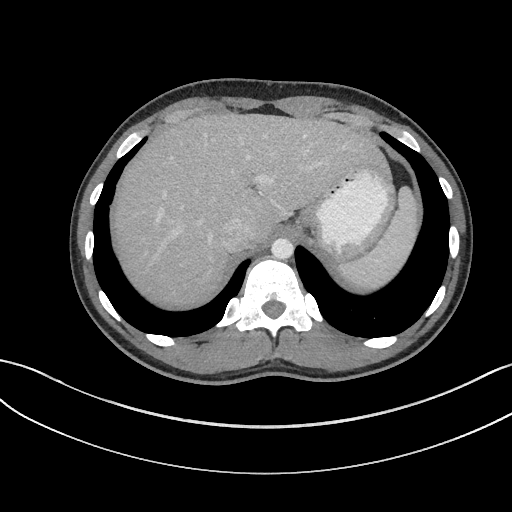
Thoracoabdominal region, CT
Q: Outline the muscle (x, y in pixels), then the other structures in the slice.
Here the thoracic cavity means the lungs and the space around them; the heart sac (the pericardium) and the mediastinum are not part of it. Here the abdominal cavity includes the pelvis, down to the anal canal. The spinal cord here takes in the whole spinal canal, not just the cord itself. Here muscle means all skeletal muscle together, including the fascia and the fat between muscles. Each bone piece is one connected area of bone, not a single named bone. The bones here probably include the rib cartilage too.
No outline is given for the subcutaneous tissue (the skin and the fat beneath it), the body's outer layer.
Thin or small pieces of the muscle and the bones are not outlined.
A: {"muscle":[{"outer":[[206,375],[216,375],[227,371],[246,369],[251,366],[258,365],[262,362],[267,362],[268,361],[284,362],[286,364],[293,367],[299,369],[313,371],[314,372],[336,372],[337,371],[352,370],[355,368],[376,363],[394,356],[397,353],[402,351],[416,341],[442,315],[451,299],[458,278],[459,268],[461,264],[461,259],[463,254],[463,247],[464,246],[463,237],[465,234],[465,215],[464,214],[464,210],[459,190],[448,169],[429,145],[411,128],[406,125],[397,123],[384,116],[382,116],[373,110],[371,110],[364,106],[361,106],[353,103],[344,102],[329,97],[313,96],[312,95],[298,95],[297,96],[284,97],[274,100],[261,100],[260,99],[255,99],[249,97],[242,97],[241,96],[214,96],[213,97],[210,96],[195,96],[194,97],[189,97],[185,99],[182,99],[168,105],[163,109],[152,114],[145,119],[131,126],[118,138],[91,177],[84,191],[78,214],[77,245],[79,250],[80,260],[82,264],[84,282],[88,294],[97,311],[109,325],[137,348],[155,359],[157,359],[170,366],[195,374],[205,374]],"hole":[[377,349],[438,308],[447,259],[459,250],[451,187],[409,133],[383,125],[380,137],[264,105],[197,115],[148,141],[134,132],[122,142],[90,195],[94,221],[85,237],[112,317],[164,347],[214,325],[262,328],[275,338],[283,327],[302,332],[325,320]]}],"bones":[{"outer":[[273,338],[283,327],[290,326],[297,332],[308,331],[313,320],[322,322],[324,319],[313,296],[303,291],[296,270],[285,261],[273,256],[265,256],[249,265],[240,295],[230,299],[222,318],[215,327],[220,328],[234,324],[239,331],[262,328],[267,330]],"hole":[[273,318],[275,318],[277,316],[278,316],[283,311],[283,310],[284,309],[284,305],[283,304],[282,304],[279,302],[277,302],[276,301],[270,301],[269,302],[266,303],[264,305],[263,305],[263,306],[262,307],[263,308],[263,310],[269,316],[270,316]]},[[419,153],[420,153],[420,147],[416,140],[409,133],[408,133],[406,131],[395,132],[389,127],[385,125],[383,125],[382,126],[382,128],[384,130],[384,131],[389,135],[392,136],[400,142],[403,143],[405,145],[408,146],[410,148],[413,149],[415,151]],[[117,159],[119,159],[123,155],[124,155],[127,152],[128,152],[135,145],[136,145],[139,142],[140,142],[141,140],[142,140],[144,136],[142,132],[134,132],[130,134],[122,142],[122,143],[117,149],[117,151],[116,152],[116,158]],[[377,349],[385,348],[392,345],[395,342],[396,342],[397,340],[397,336],[396,335],[394,335],[393,336],[388,336],[387,337],[380,337],[379,338],[370,338],[369,339],[366,339],[364,340],[363,344],[365,346],[367,347],[370,347],[371,348],[376,348]],[[452,259],[454,259],[457,256],[457,255],[458,254],[458,251],[459,250],[459,236],[458,235],[458,233],[457,232],[457,230],[456,229],[456,228],[455,227],[455,226],[454,225],[450,225],[450,226],[449,227],[449,257],[450,257]],[[425,317],[428,317],[431,314],[432,314],[438,308],[438,307],[442,302],[443,300],[443,298],[444,297],[444,295],[445,294],[445,290],[446,289],[444,285],[442,284],[440,286],[432,302],[430,304],[429,307],[423,314],[423,315]],[[164,347],[165,346],[172,346],[174,345],[175,344],[175,340],[174,338],[172,338],[171,337],[168,337],[167,336],[164,336],[163,335],[157,335],[156,334],[151,334],[150,333],[144,333],[144,335],[145,337],[150,342],[158,346],[163,346]],[[119,322],[120,322],[122,320],[122,318],[114,309],[113,306],[109,301],[108,298],[106,296],[104,292],[101,289],[99,289],[98,291],[98,297],[99,298],[100,303],[102,305],[104,309],[112,317],[113,317],[117,321]],[[88,261],[90,261],[92,259],[92,253],[93,252],[93,232],[92,231],[92,230],[89,230],[87,232],[87,233],[86,234],[86,236],[85,237],[85,258]],[[448,200],[450,200],[453,196],[453,193],[452,192],[451,187],[448,183],[448,182],[443,177],[442,177],[441,176],[438,176],[438,180],[439,181],[439,183],[441,186],[441,188],[442,189],[444,194],[446,196],[446,197]],[[91,206],[94,206],[95,205],[95,204],[96,203],[96,202],[100,195],[100,193],[101,192],[101,190],[103,187],[103,184],[104,183],[104,182],[100,182],[94,188],[94,189],[92,191],[92,192],[90,195],[90,197],[89,198],[89,204]]],"abdominal_cavity":[[[170,311],[189,310],[213,299],[277,223],[299,238],[299,245],[321,262],[338,286],[356,295],[378,290],[398,274],[422,224],[414,170],[370,129],[326,119],[298,120],[272,105],[178,122],[147,141],[127,162],[109,207],[113,252],[123,272],[143,298]]],"torso":[[[199,386],[266,376],[319,382],[353,379],[408,360],[444,328],[468,281],[473,251],[472,217],[455,168],[411,118],[386,101],[346,85],[214,78],[160,94],[134,111],[112,133],[85,173],[72,207],[68,248],[75,289],[95,325],[125,355],[172,380]]],"mediastinum":[[[295,269],[296,269],[296,264],[294,258],[294,250],[298,245],[299,240],[285,226],[281,224],[277,224],[274,227],[271,235],[262,244],[258,251],[248,257],[249,260],[248,263],[248,267],[248,265],[249,264],[251,262],[254,261],[260,256],[273,255],[277,258],[285,260]]],"spinal_cord":[[[273,318],[275,318],[277,316],[278,316],[283,311],[283,310],[284,309],[284,305],[283,304],[282,304],[279,302],[277,302],[276,301],[270,301],[269,302],[266,303],[264,305],[263,305],[263,306],[262,307],[263,308],[263,310],[269,316],[270,316]]],"thoracic_cavity":[[[365,338],[397,334],[413,324],[441,284],[448,258],[447,200],[437,177],[418,153],[385,133],[381,137],[415,170],[423,202],[423,224],[399,274],[378,291],[356,296],[338,287],[305,248],[298,246],[295,250],[300,279],[316,299],[325,320],[344,333]],[[172,337],[199,333],[221,318],[227,302],[241,287],[248,260],[236,268],[229,282],[213,300],[189,311],[158,309],[133,289],[112,252],[108,207],[121,169],[145,142],[144,138],[116,162],[105,181],[94,209],[93,263],[101,288],[126,321],[143,332]]]}